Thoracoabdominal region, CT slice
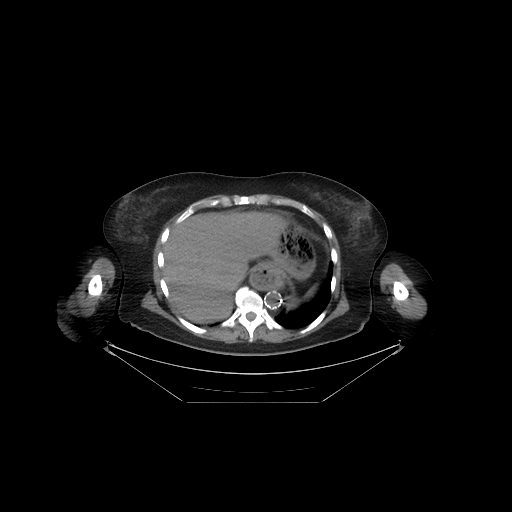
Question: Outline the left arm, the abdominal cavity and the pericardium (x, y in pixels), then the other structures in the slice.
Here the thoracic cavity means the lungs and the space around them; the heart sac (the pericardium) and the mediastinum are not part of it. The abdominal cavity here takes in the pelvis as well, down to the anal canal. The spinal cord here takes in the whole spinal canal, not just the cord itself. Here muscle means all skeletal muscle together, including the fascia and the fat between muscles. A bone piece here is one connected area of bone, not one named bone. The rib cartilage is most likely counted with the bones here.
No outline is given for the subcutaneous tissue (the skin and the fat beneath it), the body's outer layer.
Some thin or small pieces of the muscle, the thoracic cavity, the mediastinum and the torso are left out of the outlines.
Answer: {"left_arm":[[[391,249],[397,249],[405,252],[418,260],[426,268],[435,284],[439,301],[439,319],[441,322],[441,327],[439,331],[426,339],[422,340],[415,340],[409,338],[401,338],[399,339],[384,323],[380,321],[372,313],[371,286],[375,270],[382,257]]],"abdominal_cavity":[[[241,205],[289,210],[303,227],[325,239],[331,261],[325,280],[313,299],[286,312],[290,284],[282,290],[259,290],[249,284],[248,273],[234,293],[235,308],[228,317],[208,325],[193,323],[170,301],[162,271],[164,246],[170,232],[197,210]]],"pericardium":[[[294,213],[296,213],[299,215],[301,215],[302,216],[303,216],[309,222],[309,223],[310,224],[310,225],[312,228],[312,231],[311,231],[309,229],[308,229],[307,228],[306,228],[304,226],[303,226],[301,224],[301,223],[296,218],[296,217],[294,215]]],"spinal_cord":[[[249,312],[250,312],[251,312],[252,312],[253,313],[254,313],[255,314],[255,315],[255,316],[255,317],[254,318],[253,319],[252,319],[251,320],[250,320],[249,320],[248,319],[247,318],[246,317],[246,316],[246,315],[246,314],[247,313],[248,313]]],"torso":[[[187,171],[233,176],[305,171],[339,181],[366,197],[385,220],[387,243],[386,252],[376,262],[370,286],[372,314],[361,331],[296,352],[234,356],[170,342],[122,322],[117,309],[123,275],[118,258],[102,231],[104,215],[116,199],[132,189],[165,175]]],"thoracic_cavity":[[[330,262],[333,264],[332,275],[330,278],[330,297],[325,308],[313,320],[307,325],[301,328],[288,328],[287,327],[284,327],[277,322],[273,317],[279,314],[282,310],[286,313],[295,311],[303,305],[307,304],[316,297],[326,280],[328,274],[328,267]]],"bones":[{"outer":[[244,285],[248,286],[262,297],[262,303],[270,316],[283,327],[282,329],[269,329],[264,323],[261,323],[254,329],[253,340],[249,342],[249,333],[240,323],[238,322],[233,327],[223,327],[220,325],[221,322],[233,313],[236,308],[235,293],[238,288]],"hole":[[249,312],[250,312],[251,312],[252,312],[253,313],[254,313],[255,314],[255,315],[255,316],[255,317],[254,318],[253,319],[252,319],[251,320],[250,320],[249,320],[248,319],[247,318],[246,317],[246,316],[246,315],[246,314],[247,313],[248,313]]},[[235,194],[267,194],[272,198],[290,199],[305,204],[313,213],[315,218],[308,216],[292,205],[277,205],[271,203],[266,205],[241,204],[225,207],[218,205],[199,208],[176,224],[175,221],[177,218],[193,202],[202,199],[212,200],[225,195],[232,196]],[[94,274],[99,274],[101,276],[101,280],[102,281],[102,291],[101,292],[101,293],[98,296],[92,296],[91,295],[90,295],[88,293],[88,291],[87,290],[87,287],[88,286],[88,283],[89,282],[89,281],[90,280],[90,279],[91,278],[91,277]],[[394,281],[401,281],[402,282],[403,282],[403,283],[404,284],[404,285],[407,288],[407,289],[408,290],[408,292],[409,293],[409,294],[408,295],[408,296],[406,299],[405,299],[404,300],[397,300],[394,297],[394,295],[393,294],[393,282]],[[178,316],[181,316],[184,319],[187,320],[189,322],[190,322],[197,326],[199,326],[200,327],[203,327],[204,328],[205,328],[206,329],[206,332],[205,332],[204,333],[195,333],[194,332],[191,331],[180,322],[180,321],[178,319],[178,318],[177,317]],[[324,310],[325,310],[326,311],[325,316],[323,318],[323,319],[317,325],[316,325],[313,328],[312,328],[310,330],[309,330],[305,333],[299,333],[299,331],[301,329],[302,329],[306,326],[307,326],[312,321],[313,321]],[[161,278],[163,278],[164,279],[164,280],[165,281],[165,283],[167,286],[167,289],[168,290],[168,293],[169,294],[169,296],[168,297],[168,298],[167,298],[164,295],[164,294],[162,291],[162,289],[160,286],[160,279]],[[323,223],[326,223],[329,226],[329,227],[330,228],[330,229],[331,230],[331,233],[332,234],[332,235],[331,236],[331,238],[330,239],[328,239],[327,238],[327,237],[325,235],[325,233],[323,231],[323,229],[322,228],[322,224]],[[166,227],[168,227],[169,228],[169,235],[168,236],[168,237],[167,238],[167,240],[165,242],[165,243],[162,243],[161,242],[161,234],[162,233],[162,232],[164,230],[164,229]],[[333,247],[335,249],[335,250],[336,251],[336,252],[337,253],[337,261],[336,262],[336,263],[335,263],[334,264],[332,262],[332,261],[331,260],[331,256],[330,255],[330,251],[331,250],[331,248],[332,248]],[[160,251],[162,251],[162,252],[163,253],[163,267],[162,268],[160,268],[158,266],[158,262],[157,261],[157,257],[158,256],[158,253]],[[333,275],[334,275],[335,276],[335,287],[334,288],[334,290],[333,291],[333,292],[332,293],[331,293],[331,278],[332,277],[332,276]]],"muscle":[[[185,208],[174,221],[176,225],[170,231],[166,226],[160,234],[160,242],[164,245],[163,251],[157,253],[156,261],[162,272],[162,277],[159,279],[161,291],[167,299],[169,298],[171,305],[179,314],[176,317],[179,322],[191,332],[204,334],[207,332],[204,327],[206,326],[219,324],[223,328],[233,328],[238,323],[247,331],[248,342],[226,343],[201,338],[141,306],[145,293],[154,288],[153,250],[157,237],[163,225]],[[330,226],[337,238],[340,248],[341,284],[349,303],[349,309],[344,314],[332,319],[318,330],[304,337],[278,343],[262,342],[260,340],[252,342],[254,340],[254,331],[261,324],[264,324],[269,330],[282,330],[284,328],[300,329],[298,333],[305,334],[324,319],[327,313],[325,309],[330,300],[331,294],[336,287],[336,276],[333,274],[333,268],[338,261],[338,253],[336,249],[333,246],[330,250],[328,242],[333,235]],{"outer":[[99,257],[106,257],[108,258],[114,265],[115,268],[115,279],[114,280],[114,283],[111,292],[108,298],[101,302],[98,305],[93,314],[84,318],[83,317],[74,315],[67,310],[66,308],[66,302],[73,294],[77,285],[84,275],[90,269],[92,263]],"hole":[[94,274],[99,274],[101,276],[101,280],[102,281],[102,291],[101,292],[101,293],[98,296],[92,296],[91,295],[90,295],[88,293],[88,291],[87,290],[87,287],[88,286],[88,283],[89,282],[89,281],[90,280],[90,279],[91,278],[91,277]]},{"outer":[[391,262],[394,262],[398,264],[402,268],[409,278],[413,281],[415,288],[426,301],[427,310],[425,315],[420,319],[409,319],[408,318],[405,318],[400,315],[391,307],[391,304],[387,300],[385,295],[382,292],[379,284],[380,273],[383,268],[387,264]],"hole":[[394,281],[401,281],[402,282],[403,282],[403,283],[404,284],[404,285],[407,288],[407,289],[408,290],[408,292],[409,293],[409,294],[408,295],[408,296],[406,299],[405,299],[404,300],[397,300],[394,297],[394,295],[393,294],[393,282]]},[[309,207],[310,207],[311,208],[314,209],[316,211],[319,212],[325,218],[325,219],[327,221],[327,222],[329,224],[329,225],[326,222],[323,222],[321,224],[321,227],[314,220],[314,219],[315,219],[316,218],[316,217],[315,216],[314,213]],[[262,193],[269,193],[270,194],[276,194],[277,195],[281,195],[282,196],[284,196],[285,197],[288,197],[289,198],[291,198],[292,199],[294,199],[296,200],[294,200],[290,198],[282,198],[281,197],[272,197],[270,196],[267,193]]],"mediastinum":[[[248,274],[249,274],[247,277],[248,284],[259,291],[267,291],[268,290],[279,290],[282,291],[289,284],[291,289],[290,298],[288,302],[279,313],[274,316],[271,316],[271,314],[263,303],[263,297],[248,285],[245,284],[241,285],[242,282],[244,281]],[[270,204],[276,205],[277,206],[292,206],[296,208],[300,212],[313,219],[322,229],[322,231],[324,233],[324,235],[326,237],[327,240],[313,231],[313,228],[310,222],[303,215],[294,212],[289,209],[284,209],[279,207],[272,207],[269,205],[267,205]]],"right_arm":[[[96,244],[102,244],[105,246],[108,245],[113,250],[117,258],[122,275],[122,285],[120,296],[116,304],[117,308],[105,327],[96,336],[86,341],[77,342],[70,340],[64,336],[59,330],[54,317],[54,307],[57,299],[58,291],[67,269],[80,253]]]}